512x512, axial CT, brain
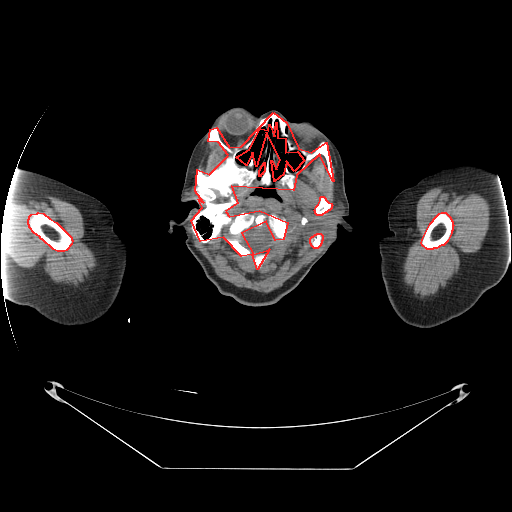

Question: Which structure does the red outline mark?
Answer: red: bones.
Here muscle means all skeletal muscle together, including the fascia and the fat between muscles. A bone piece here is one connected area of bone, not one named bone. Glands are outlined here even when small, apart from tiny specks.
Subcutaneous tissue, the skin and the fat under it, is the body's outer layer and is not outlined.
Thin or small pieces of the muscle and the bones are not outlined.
{"bones":[{"outer":[[273,112],[286,122],[298,148],[311,152],[326,142],[333,181],[319,154],[296,175],[293,190],[231,186],[237,203],[225,211],[229,216],[259,210],[287,222],[283,239],[275,240],[266,221],[241,233],[253,254],[269,249],[257,269],[252,254],[241,256],[223,237],[200,241],[191,220],[202,207],[198,199],[203,202],[195,191],[197,169],[209,174],[228,155],[218,142],[208,141],[210,129],[216,127],[229,147],[241,146]],"holes":[[[276,122],[277,137],[285,138],[285,152],[297,151],[304,160],[294,171],[286,161],[283,174],[274,181],[271,160],[276,169],[280,159],[266,132],[256,166],[252,152],[246,165],[236,157],[249,149],[260,128],[268,130],[269,124],[274,136]],[[264,162],[264,171],[262,173],[262,174],[261,174],[260,175],[260,176],[259,176],[259,170],[260,169],[260,168],[261,167],[261,166],[263,164],[263,163]]]},[[38,212],[43,213],[49,218],[56,222],[71,237],[71,239],[72,240],[71,244],[66,250],[64,251],[57,251],[53,249],[42,239],[41,239],[39,236],[34,233],[29,227],[29,225],[28,224],[28,219],[29,218],[29,216],[31,214],[37,213]],[[441,212],[445,212],[449,216],[452,221],[452,224],[453,225],[452,226],[452,230],[451,231],[451,233],[447,241],[443,245],[441,245],[436,248],[433,248],[432,249],[427,249],[422,245],[421,243],[422,239],[430,223],[433,220],[433,219],[439,213]],[[321,196],[323,196],[325,198],[325,199],[328,202],[331,203],[332,205],[331,206],[331,208],[329,210],[328,210],[326,212],[325,212],[321,215],[317,215],[315,213],[315,211],[314,210],[316,206],[318,204],[320,200],[320,197]],[[317,233],[320,233],[322,235],[322,240],[321,241],[321,243],[320,244],[320,245],[317,248],[314,248],[311,245],[311,244],[310,243],[310,238],[312,236],[313,236],[315,234],[316,234]]],"right_arm":[[[24,169],[49,176],[97,198],[110,211],[113,218],[113,229],[126,244],[127,262],[119,293],[111,307],[102,316],[91,322],[80,325],[63,325],[46,318],[29,306],[13,302],[3,294],[3,280],[0,276],[0,233],[3,214],[13,177],[18,170]]],"brain":[[[265,222],[267,223],[267,225],[271,233],[273,235],[273,238],[274,239],[273,244],[271,247],[266,249],[264,251],[258,252],[257,253],[253,253],[250,249],[246,247],[243,244],[242,242],[242,233],[253,225],[255,225],[259,228],[261,227]]],"left_arm":[[[460,164],[471,164],[485,168],[494,172],[498,178],[507,210],[511,236],[511,258],[507,271],[501,280],[488,289],[467,311],[434,327],[412,326],[398,317],[388,300],[380,274],[378,241],[383,236],[392,234],[387,219],[388,209],[400,191],[438,170]]],"parotid_glands":[[[337,199],[341,202],[343,206],[343,211],[339,217],[335,220],[335,222],[331,227],[331,231],[330,233],[329,232],[329,230],[327,228],[324,227],[323,225],[323,221],[330,212],[332,208],[332,206],[336,203]]],"muscle":[{"outer":[[328,144],[337,161],[340,200],[337,198],[333,205],[321,195],[313,210],[317,216],[329,211],[322,221],[329,233],[323,251],[268,293],[238,288],[220,278],[194,246],[190,223],[200,242],[211,244],[223,238],[241,257],[252,255],[255,268],[260,270],[274,242],[286,237],[288,222],[284,216],[259,209],[229,215],[226,211],[238,203],[232,186],[280,201],[282,188],[293,191],[297,175],[319,155],[332,183],[334,168]],"holes":[[[317,233],[320,233],[322,235],[322,240],[321,241],[321,243],[320,244],[320,245],[317,248],[314,248],[311,245],[311,244],[310,243],[310,238],[312,236],[313,236],[315,234],[316,234]],[[302,217],[303,217],[304,217],[305,217],[306,218],[307,219],[307,220],[307,221],[306,222],[306,223],[305,224],[304,225],[303,225],[302,224],[301,224],[301,223],[301,222],[301,221],[301,220],[301,219],[301,218]]]},{"outer":[[446,185],[463,186],[488,198],[491,206],[489,229],[487,231],[481,248],[451,280],[447,287],[442,289],[438,294],[429,299],[419,299],[408,291],[404,285],[402,281],[401,266],[407,248],[409,246],[415,220],[416,203],[418,199],[429,189]],"hole":[[441,212],[445,212],[449,216],[452,221],[452,224],[453,225],[452,226],[452,230],[451,231],[451,233],[447,241],[443,245],[441,245],[436,248],[433,248],[432,249],[427,249],[422,245],[421,243],[422,239],[430,223],[433,220],[433,219],[439,213]]},{"outer":[[34,197],[64,199],[74,204],[82,214],[84,221],[84,234],[97,259],[97,266],[89,273],[89,276],[77,287],[62,283],[56,283],[50,279],[40,277],[25,271],[12,263],[11,258],[0,246],[0,233],[2,230],[3,214],[6,200]],"hole":[[38,212],[43,213],[49,218],[56,222],[71,237],[71,239],[72,240],[71,244],[66,250],[64,251],[57,251],[53,249],[42,239],[41,239],[39,236],[34,233],[29,227],[29,225],[28,224],[28,219],[29,218],[29,216],[31,214],[37,213]]},[[206,139],[209,143],[218,143],[226,151],[227,155],[225,156],[224,161],[212,169],[209,173],[205,173],[200,166],[196,169],[194,191],[202,201],[201,202],[198,198],[188,192],[190,189],[190,180],[193,175],[192,173],[196,167],[198,156],[206,143]]],"head":[{"outer":[[232,107],[311,120],[336,146],[343,164],[349,204],[344,219],[353,229],[339,224],[335,241],[298,286],[266,306],[221,294],[188,250],[184,228],[168,231],[171,219],[180,222],[199,207],[196,200],[180,200],[187,164],[214,119]],"holes":[[[276,122],[277,137],[285,138],[285,152],[297,151],[304,160],[294,171],[286,161],[283,174],[274,181],[271,160],[276,169],[280,159],[266,132],[256,166],[252,152],[246,165],[236,157],[249,149],[260,128],[268,130],[269,124],[274,136]],[[270,186],[273,186],[274,187],[276,193],[280,197],[280,200],[274,197],[272,197],[271,196],[268,196],[267,197],[265,197],[261,195],[257,195],[256,194],[254,194],[252,193],[257,188],[259,187],[262,187],[263,188],[267,188]],[[264,162],[264,171],[262,173],[262,174],[261,174],[260,175],[260,176],[259,176],[259,170],[260,169],[260,168],[261,167],[261,166],[263,164],[263,163]]]}]}